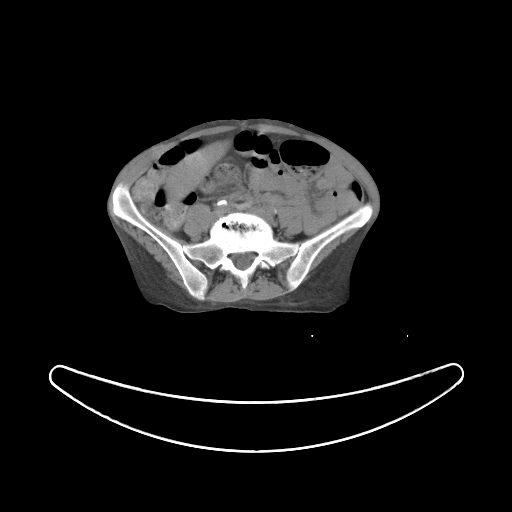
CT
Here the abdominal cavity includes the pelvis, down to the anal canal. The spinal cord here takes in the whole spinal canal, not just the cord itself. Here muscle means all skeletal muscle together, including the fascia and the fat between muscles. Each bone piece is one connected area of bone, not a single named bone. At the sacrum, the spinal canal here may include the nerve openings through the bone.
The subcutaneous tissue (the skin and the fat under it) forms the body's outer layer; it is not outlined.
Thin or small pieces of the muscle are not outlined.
{"muscle":[[[239,123],[269,123],[283,126],[301,133],[322,138],[343,151],[366,172],[375,187],[377,194],[377,207],[371,220],[368,222],[373,213],[373,206],[368,202],[368,195],[362,184],[348,168],[325,147],[313,139],[297,135],[271,132],[247,126],[238,127],[235,129],[214,134],[182,138],[162,152],[151,162],[130,187],[126,183],[121,181],[115,185],[123,171],[134,160],[154,147],[173,141],[200,129],[220,125],[234,125]],[[290,258],[292,259],[284,278],[288,291],[294,291],[288,295],[268,300],[242,297],[234,302],[200,301],[205,300],[208,279],[193,262],[200,262],[211,270],[218,268],[220,271],[228,271],[238,278],[244,290],[248,285],[249,277],[258,267],[268,270]],[[110,198],[111,199],[111,211],[115,216],[124,221],[126,221],[128,223],[145,232],[165,251],[176,268],[182,280],[182,283],[185,289],[191,297],[186,295],[186,294],[172,281],[164,271],[160,264],[151,254],[116,224],[111,215],[109,209],[109,201]],[[197,203],[205,204],[210,209],[209,219],[212,223],[208,231],[208,237],[206,239],[197,242],[189,242],[183,244],[176,239],[169,236],[156,226],[159,226],[163,228],[176,237],[181,238],[187,242],[190,242],[191,238],[184,230],[184,222],[190,208]],[[286,206],[290,206],[293,208],[295,208],[295,209],[297,210],[298,212],[299,212],[302,219],[302,230],[300,232],[293,235],[291,237],[288,237],[284,235],[283,231],[281,229],[280,229],[280,226],[278,223],[278,211],[280,209],[280,208],[282,208]],[[353,229],[359,229],[348,239],[338,245],[336,247],[336,248],[334,249],[317,266],[313,274],[306,281],[302,283],[305,279],[306,276],[310,271],[311,269],[311,266],[314,260],[316,258],[318,254],[322,250],[322,249],[336,238],[339,237],[346,232]]],"spinal_cord":[[[252,252],[255,252],[257,253],[257,255],[255,255],[253,257],[251,261],[251,263],[249,266],[244,269],[239,269],[236,267],[233,258],[232,257],[229,257],[228,256],[229,254],[232,254],[233,253],[234,254],[244,254],[245,253],[251,253]]],"bones":[{"outer":[[121,182],[140,213],[183,245],[206,240],[212,224],[232,212],[255,214],[275,239],[298,243],[367,202],[372,213],[325,245],[292,291],[285,278],[292,257],[258,266],[244,289],[228,270],[193,261],[207,279],[198,300],[166,251],[113,213],[111,193]],"hole":[[252,252],[255,252],[257,253],[257,255],[255,255],[253,257],[251,261],[251,263],[249,266],[244,269],[239,269],[236,267],[233,258],[232,257],[229,257],[228,256],[229,254],[232,254],[233,253],[234,254],[244,254],[245,253],[251,253]]}],"abdominal_cavity":[{"outer":[[244,127],[317,142],[359,181],[367,195],[367,201],[301,242],[275,238],[271,225],[251,212],[232,211],[220,215],[213,222],[210,219],[210,207],[202,202],[189,208],[183,222],[183,230],[190,241],[154,225],[141,213],[130,191],[150,164],[182,139]],"hole":[[286,206],[290,206],[293,208],[295,208],[295,209],[297,210],[298,212],[299,212],[302,219],[302,230],[300,232],[293,235],[291,237],[288,237],[284,235],[283,231],[281,229],[280,229],[280,226],[278,223],[278,211],[280,209],[280,208],[282,208]]}],"torso":[[[258,117],[291,122],[329,138],[355,156],[375,180],[380,193],[380,211],[355,259],[351,275],[351,300],[329,313],[267,312],[236,308],[180,313],[164,306],[149,304],[136,286],[123,248],[106,213],[106,198],[116,174],[140,151],[190,126],[214,119]]]}